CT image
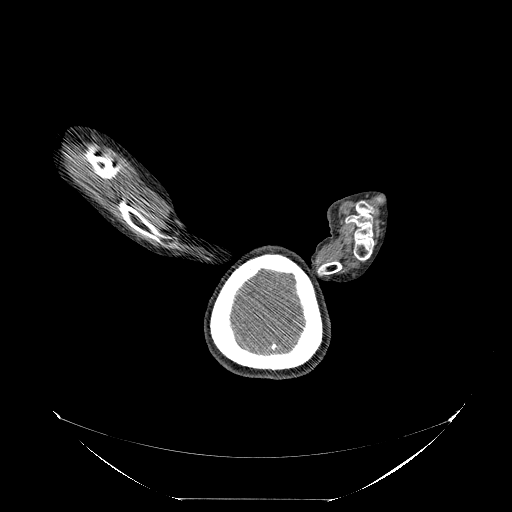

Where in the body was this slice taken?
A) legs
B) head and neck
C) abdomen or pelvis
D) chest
B) head and neck
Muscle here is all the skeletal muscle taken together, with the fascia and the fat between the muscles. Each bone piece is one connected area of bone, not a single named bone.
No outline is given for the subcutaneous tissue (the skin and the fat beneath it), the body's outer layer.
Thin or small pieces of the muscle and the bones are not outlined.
{"bones":[{"outer":[[263,253],[281,253],[294,260],[309,275],[316,290],[316,296],[319,303],[323,324],[322,343],[315,354],[308,361],[294,368],[270,370],[269,369],[256,369],[242,366],[225,357],[215,347],[209,334],[208,321],[210,310],[223,280],[235,266],[250,257]],"hole":[[262,269],[277,273],[291,274],[293,276],[294,292],[301,309],[303,324],[299,325],[301,330],[298,334],[295,343],[286,351],[271,351],[264,353],[259,351],[253,351],[247,347],[244,347],[238,342],[233,327],[231,315],[236,296],[244,284]]},[[361,199],[365,200],[374,207],[374,212],[372,214],[373,217],[372,231],[373,232],[373,239],[375,243],[371,255],[364,261],[357,259],[353,254],[354,232],[356,229],[356,225],[353,222],[348,223],[345,222],[346,217],[355,212],[353,204],[356,201]],[[119,201],[124,201],[134,209],[141,212],[161,232],[176,238],[177,241],[180,244],[180,248],[177,249],[176,248],[166,248],[163,247],[154,241],[150,241],[149,239],[134,231],[122,218],[121,213],[119,210],[119,206],[117,203]],[[88,154],[91,154],[94,156],[97,156],[98,157],[108,157],[110,158],[112,160],[113,166],[115,169],[114,171],[114,175],[115,177],[112,179],[107,179],[106,178],[102,178],[100,176],[96,174],[93,171],[91,165],[85,157],[85,156]],[[332,261],[335,261],[336,262],[338,262],[341,265],[341,268],[339,270],[338,270],[336,272],[335,272],[332,274],[330,274],[329,275],[325,275],[324,276],[322,276],[321,277],[318,276],[316,273],[316,269],[317,268],[317,267],[322,264],[328,264]]],"brain":[[[262,269],[277,273],[291,274],[293,276],[294,292],[301,309],[303,324],[299,325],[301,330],[298,334],[295,343],[286,351],[271,351],[264,353],[259,351],[253,351],[247,347],[244,347],[238,342],[233,327],[231,315],[236,296],[244,284]]],"muscle":[{"outer":[[80,140],[98,142],[128,160],[170,207],[179,241],[187,245],[198,244],[211,251],[211,256],[200,258],[181,250],[176,237],[161,231],[124,200],[116,203],[121,218],[134,232],[160,246],[155,246],[125,227],[89,196],[64,168],[63,154],[67,142]],"hole":[[88,154],[91,154],[94,156],[97,156],[98,157],[108,157],[110,158],[112,160],[113,166],[115,169],[114,171],[114,175],[115,177],[112,179],[107,179],[106,178],[102,178],[100,176],[96,174],[93,171],[91,165],[85,157],[85,156]]},[[348,200],[355,201],[352,204],[354,212],[347,215],[344,222],[355,225],[352,254],[357,260],[363,262],[357,268],[327,278],[325,276],[336,273],[342,268],[342,265],[338,261],[332,260],[322,263],[316,268],[313,260],[325,245],[338,236],[338,208]],[[373,196],[378,196],[377,200],[382,203],[380,206],[381,209],[380,217],[383,221],[380,226],[381,231],[378,237],[378,241],[375,245],[376,243],[374,239],[374,232],[373,231],[373,222],[374,221],[373,214],[375,212],[375,207],[364,199],[368,199]],[[268,247],[275,247],[276,248],[279,248],[281,250],[283,250],[286,252],[288,252],[298,260],[298,261],[307,270],[308,273],[298,262],[297,262],[291,257],[281,252],[263,252],[262,253],[260,253],[256,255],[253,255],[252,256],[250,256],[243,261],[235,265],[236,263],[240,259],[241,259],[245,256],[247,256],[249,255],[250,253],[253,252],[255,250],[257,250],[258,249],[261,249],[262,248],[267,248]]],"head":[[[264,244],[278,244],[284,246],[299,254],[307,262],[321,288],[329,313],[332,335],[327,353],[322,361],[312,371],[299,377],[276,380],[265,378],[250,378],[234,374],[222,367],[212,357],[204,341],[202,326],[204,312],[208,300],[220,278],[242,254]]],"left_arm":[[[367,190],[377,190],[382,192],[385,195],[387,202],[388,217],[386,233],[383,243],[375,259],[361,276],[353,280],[345,282],[322,280],[319,282],[319,284],[308,262],[314,252],[316,245],[330,233],[326,218],[328,207],[334,201],[344,196]]],"right_arm":[[[72,125],[83,125],[94,128],[107,134],[121,144],[166,189],[179,219],[192,233],[210,242],[224,246],[234,256],[221,257],[214,263],[199,263],[185,258],[159,255],[138,244],[116,229],[60,177],[54,165],[52,149],[56,144],[56,135],[58,131]]]}